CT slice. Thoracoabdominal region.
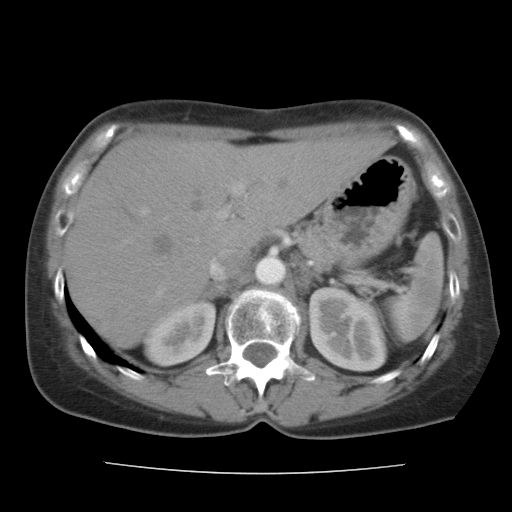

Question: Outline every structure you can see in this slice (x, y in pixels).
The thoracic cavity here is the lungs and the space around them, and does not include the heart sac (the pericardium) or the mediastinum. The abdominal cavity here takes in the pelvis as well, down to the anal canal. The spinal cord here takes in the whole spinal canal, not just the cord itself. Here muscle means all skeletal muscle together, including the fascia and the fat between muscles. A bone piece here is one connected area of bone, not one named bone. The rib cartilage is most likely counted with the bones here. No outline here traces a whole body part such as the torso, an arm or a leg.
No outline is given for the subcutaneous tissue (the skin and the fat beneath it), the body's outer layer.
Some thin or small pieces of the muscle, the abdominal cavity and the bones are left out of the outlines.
Answer: {"thoracic_cavity":[[[65,282],[69,297],[73,305],[97,336],[116,356],[125,360],[129,364],[135,366],[144,373],[140,373],[128,366],[123,366],[119,364],[115,365],[113,363],[110,363],[102,359],[97,355],[91,344],[85,336],[78,331],[69,316],[64,298]]],"abdominal_cavity":[[[382,129],[411,149],[439,207],[449,244],[445,314],[415,361],[375,377],[338,376],[304,351],[310,320],[303,302],[253,286],[218,315],[213,353],[180,371],[156,375],[116,355],[74,305],[62,265],[70,208],[86,172],[117,142],[144,132],[243,140]]],"spinal_cord":[[[254,343],[265,343],[266,344],[269,344],[271,345],[274,348],[276,352],[276,354],[275,356],[262,367],[259,367],[257,366],[250,360],[248,360],[244,358],[243,356],[243,354],[244,353],[244,351],[245,349],[249,345],[251,344],[253,344]]],"muscle":[{"outer":[[377,115],[394,118],[402,118],[408,120],[420,128],[425,133],[445,164],[457,188],[458,194],[457,199],[461,208],[468,236],[468,247],[470,256],[469,259],[469,289],[467,291],[465,303],[462,310],[463,316],[459,322],[459,336],[456,341],[457,342],[455,345],[454,351],[444,363],[431,376],[420,384],[414,391],[382,407],[365,413],[336,418],[318,423],[310,423],[297,427],[287,427],[281,425],[265,414],[256,414],[249,417],[245,421],[238,423],[219,423],[209,419],[202,419],[193,416],[162,412],[128,399],[110,389],[94,377],[88,375],[83,369],[77,366],[70,359],[64,350],[63,343],[64,340],[62,337],[61,330],[52,313],[50,305],[49,299],[51,295],[48,290],[49,280],[47,277],[45,265],[45,262],[47,259],[45,248],[46,228],[53,199],[53,192],[58,177],[80,145],[98,126],[113,120],[127,119],[149,122],[196,123],[214,126],[229,126],[236,128],[243,128],[252,131],[268,131],[276,128],[303,126],[322,122],[332,122],[345,119],[354,119],[358,117],[373,117]],"holes":[[[396,124],[419,136],[421,148],[402,141],[415,156],[441,218],[452,213],[461,231],[459,240],[448,238],[448,265],[457,275],[459,296],[452,301],[447,293],[439,339],[429,359],[404,365],[383,383],[371,383],[372,377],[338,376],[304,351],[310,320],[300,300],[294,304],[301,322],[289,355],[315,379],[297,374],[271,378],[261,399],[251,378],[227,386],[222,374],[205,372],[230,357],[228,304],[215,321],[213,353],[180,371],[143,373],[143,379],[135,380],[113,363],[85,354],[65,301],[54,295],[64,237],[56,234],[54,218],[60,208],[72,207],[76,194],[64,196],[61,186],[78,162],[88,160],[86,172],[117,142],[144,132],[243,140],[382,129],[400,138]],[[429,159],[435,163],[437,167],[440,170],[440,173],[442,178],[449,185],[450,187],[450,191],[442,198],[437,198],[434,195],[432,191],[432,187],[431,186],[430,181],[428,178],[428,176],[426,173],[426,169],[424,166],[424,162],[426,160],[428,160]],[[112,124],[117,124],[118,125],[118,127],[115,130],[114,132],[114,135],[109,140],[109,141],[104,147],[102,148],[100,148],[99,149],[95,149],[93,147],[93,145],[94,144],[94,142],[95,141],[95,139],[96,137],[101,133],[104,132]]]}],"bones":[{"outer":[[253,287],[279,291],[297,307],[301,322],[289,355],[315,375],[315,379],[310,381],[297,374],[271,378],[261,399],[251,378],[235,380],[227,386],[222,374],[208,375],[205,372],[207,367],[230,357],[231,345],[225,330],[228,308],[240,293]],"hole":[[254,343],[265,343],[266,344],[269,344],[271,345],[274,348],[276,352],[276,354],[275,356],[262,367],[259,367],[257,366],[250,360],[248,360],[244,358],[243,356],[243,354],[244,353],[244,351],[245,349],[249,345],[251,344],[253,344]]},[[429,159],[435,163],[437,167],[440,170],[440,173],[442,178],[449,185],[450,187],[450,191],[442,198],[437,198],[434,195],[432,191],[432,187],[431,186],[430,181],[428,178],[428,176],[426,173],[426,169],[424,166],[424,162],[426,160],[428,160]],[[85,159],[87,159],[88,160],[88,162],[85,166],[85,171],[83,174],[83,176],[81,178],[80,184],[77,190],[75,192],[75,193],[71,195],[69,195],[68,196],[64,196],[64,194],[62,191],[61,186],[65,178],[70,174],[73,168],[78,162]],[[449,213],[452,213],[455,216],[455,217],[459,224],[459,226],[460,227],[460,230],[461,231],[461,237],[460,238],[460,239],[457,241],[454,241],[450,237],[449,237],[448,236],[448,235],[446,233],[444,228],[442,226],[442,219],[447,214],[448,214]],[[60,208],[66,208],[67,209],[69,209],[71,211],[71,221],[68,224],[68,225],[66,228],[66,230],[62,236],[59,236],[56,234],[56,233],[55,232],[55,228],[56,227],[56,223],[54,220],[54,218],[55,217],[55,215],[56,214],[57,211]],[[396,124],[400,124],[406,127],[409,130],[417,134],[419,136],[423,144],[423,146],[421,148],[417,148],[408,141],[406,141],[404,139],[403,139],[400,136],[400,135],[398,133],[395,127]],[[112,124],[117,124],[118,125],[118,127],[115,130],[114,132],[114,135],[109,140],[109,141],[104,147],[102,148],[100,148],[99,149],[95,149],[93,147],[93,145],[94,144],[94,142],[95,141],[95,139],[96,137],[101,133],[104,132]],[[60,266],[62,266],[62,267],[63,268],[63,276],[64,277],[64,287],[63,288],[63,298],[64,299],[64,300],[61,303],[60,302],[59,302],[57,300],[57,299],[55,297],[55,296],[54,295],[54,279],[55,278],[55,276],[56,275],[56,273]],[[436,332],[438,332],[439,333],[439,339],[438,340],[438,342],[437,343],[436,348],[435,349],[433,354],[429,359],[426,360],[423,363],[420,363],[419,362],[419,359],[421,357],[421,356],[424,352],[426,347],[428,345],[428,344],[429,343],[432,336]],[[79,333],[80,333],[84,336],[84,337],[87,340],[87,341],[90,344],[90,345],[94,350],[97,356],[96,358],[96,360],[94,360],[92,359],[91,357],[86,355],[83,351],[82,349],[82,347],[80,344],[80,341],[79,340]]]}